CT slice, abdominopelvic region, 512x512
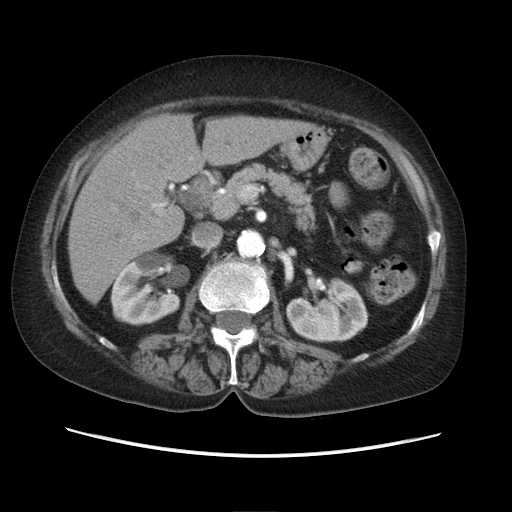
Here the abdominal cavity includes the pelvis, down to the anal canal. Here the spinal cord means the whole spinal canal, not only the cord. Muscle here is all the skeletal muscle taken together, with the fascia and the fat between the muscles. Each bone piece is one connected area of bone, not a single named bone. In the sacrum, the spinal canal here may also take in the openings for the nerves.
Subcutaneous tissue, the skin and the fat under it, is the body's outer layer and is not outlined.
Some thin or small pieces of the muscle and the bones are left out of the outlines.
Outlines:
torso: (212, 54) (285, 56) (341, 68) (382, 89) (418, 123) (456, 194) (467, 241) (463, 341) (438, 386) (384, 405) (313, 417) (258, 415) (233, 392) (213, 408) (173, 413) (70, 383) (28, 350) (12, 313) (11, 272) (24, 211) (47, 159) (88, 112) (124, 84) (165, 64)
muscle: (203, 95) (246, 95) (247, 96) (268, 96) (269, 97) (276, 96) (279, 98) (295, 99) (298, 101) (315, 104) (325, 108) (329, 108) (336, 111) (341, 111) (361, 117) (384, 128) (410, 151) (420, 164) (429, 179) (436, 198) (442, 210) (447, 249) (446, 250) (446, 264) (445, 265) (445, 283) (441, 290) (440, 299) (433, 317) (421, 330) (422, 336) (419, 337) (414, 343) (406, 348) (392, 361) (390, 361) (384, 365) (380, 365) (376, 367) (370, 366) (356, 367) (351, 371) (334, 377) (329, 383) (311, 393) (305, 395) (292, 396) (289, 398) (269, 399) (268, 400) (259, 399) (248, 395) (241, 389) (235, 386) (228, 386) (215, 394) (207, 396) (198, 396) (192, 394) (171, 392) (167, 390) (160, 389) (151, 384) (146, 383) (141, 379) (139, 379) (117, 367) (98, 352) (85, 345) (66, 328) (61, 315) (54, 305) (52, 298) (48, 291) (48, 287) (46, 285) (46, 282) (42, 275) (41, 256) (39, 245) (41, 239) (42, 227) (48, 211) (49, 205) (57, 185) (65, 172) (69, 161) (73, 155) (89, 141) (93, 140) (103, 134) (118, 123) (134, 116) (148, 106) (174, 99) (197, 97); inner edges: (253, 101) (347, 123) (395, 162) (428, 231) (441, 235) (421, 326) (352, 362) (288, 336) (268, 279) (270, 300) (251, 318) (258, 337) (238, 351) (232, 385) (198, 298) (204, 273) (177, 331) (141, 336) (130, 351) (104, 346) (58, 297) (51, 271) (82, 178) (148, 114), then (401, 154) (404, 155) (409, 160) (409, 161) (415, 169) (417, 174) (419, 176) (423, 184) (423, 186) (425, 189) (425, 193) (426, 194) (426, 203) (425, 205) (423, 205) (422, 204) (416, 193) (414, 185) (412, 181) (410, 179) (410, 177) (408, 175) (400, 159) (400, 155), then (79, 159) (81, 160) (81, 162) (78, 168) (78, 170) (76, 173) (76, 175) (73, 181) (73, 183) (71, 186) (71, 188) (68, 193) (66, 191) (66, 188) (67, 187) (67, 183) (70, 178) (70, 176) (71, 175) (71, 173) (72, 172) (73, 167) (76, 161)
bones 1: (230, 260) (261, 265) (270, 291) (268, 304) (253, 317) (240, 310) (222, 310) (213, 315) (214, 325) (232, 335) (249, 328) (253, 322) (257, 329) (258, 337) (236, 355) (235, 385) (227, 382) (229, 355) (214, 343) (209, 331) (213, 316) (198, 298) (199, 285) (208, 270)
bones 2: (401, 154) (404, 155) (409, 160) (409, 161) (415, 169) (417, 174) (419, 176) (423, 184) (423, 186) (425, 189) (425, 193) (426, 194) (426, 203) (425, 205) (423, 205) (422, 204) (416, 193) (414, 185) (412, 181) (410, 179) (410, 177) (408, 175) (400, 159) (400, 155)
bones 3: (53, 262) (56, 264) (56, 267) (57, 268) (57, 275) (58, 276) (59, 283) (63, 292) (63, 294) (65, 297) (65, 299) (69, 305) (69, 307) (70, 308) (69, 310) (56, 294) (55, 286) (54, 285) (54, 282) (52, 277) (52, 272) (51, 271) (51, 265)
bones 4: (433, 229) (435, 229) (437, 230) (441, 235) (440, 237) (440, 240) (439, 241) (439, 246) (438, 247) (438, 250) (437, 251) (437, 253) (434, 256) (434, 257) (432, 257) (432, 254) (431, 253) (430, 246) (428, 244) (428, 241) (427, 240) (427, 236) (428, 235) (428, 233)
bones 5: (424, 301) (426, 302) (426, 304) (425, 305) (425, 311) (424, 312) (424, 315) (423, 316) (423, 321) (422, 322) (422, 324) (421, 326) (411, 334) (409, 335) (406, 335) (408, 330) (410, 328) (413, 322) (413, 320) (415, 316) (419, 311) (422, 305) (422, 303)
bones 6: (79, 159) (81, 160) (81, 162) (78, 168) (78, 170) (76, 173) (76, 175) (73, 181) (73, 183) (71, 186) (71, 188) (68, 193) (66, 191) (66, 188) (67, 187) (67, 183) (70, 178) (70, 176) (71, 175) (71, 173) (72, 172) (73, 167) (76, 161)
bones 7: (99, 335) (102, 335) (103, 336) (104, 336) (108, 340) (109, 340) (113, 344) (114, 344) (116, 347) (116, 349) (115, 350) (113, 350) (112, 349) (110, 349) (109, 348) (108, 348) (107, 347) (106, 347) (105, 346) (104, 346) (101, 343) (100, 343) (98, 341) (98, 336)
spinal cord: (222, 311) (240, 311) (241, 312) (244, 312) (245, 313) (247, 313) (251, 315) (251, 325) (249, 327) (243, 327) (237, 333) (235, 333) (234, 334) (229, 333) (224, 328) (221, 328) (215, 325) (215, 322) (214, 321) (214, 315) (216, 313) (218, 312) (221, 312)
abdominal cavity: (253, 101) (347, 123) (377, 141) (395, 162) (425, 216) (431, 254) (425, 296) (409, 328) (385, 346) (347, 358) (292, 338) (265, 268) (230, 259) (213, 264) (187, 292) (177, 331) (141, 336) (130, 351) (116, 345) (82, 321) (58, 275) (57, 240) (82, 178) (148, 114)